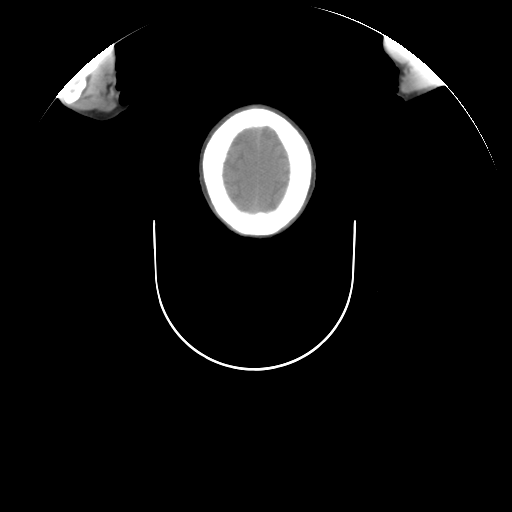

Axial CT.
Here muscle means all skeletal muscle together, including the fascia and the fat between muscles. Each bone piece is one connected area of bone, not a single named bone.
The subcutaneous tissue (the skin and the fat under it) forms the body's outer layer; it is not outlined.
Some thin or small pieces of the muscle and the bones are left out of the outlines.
The head is outlined by 253 102; 269 104; 279 108; 289 115; 303 129; 309 138; 317 163; 316 187; 305 211; 291 227; 283 233; 269 239; 253 239; 241 237; 228 230; 210 211; 200 192; 200 187; 198 183; 199 152; 202 142; 210 128; 230 110; 238 106. The muscle appears in 2 outlined pieces: piece 1: 109 46; 111 47; 112 60; 113 61; 113 91; 115 95; 115 102; 116 103; 115 107; 109 112; 98 112; 95 110; 80 110; 69 105; 66 105; 62 102; 61 99; 58 96; 58 94; 62 88; 86 63; 101 51; 104 50 with a hole at 84 79; 85 79; 86 80; 86 86; 83 90; 80 97; 76 101; 75 101; 73 103; 68 104; 65 101; 64 98; 62 96; 62 93; 63 92; 63 90; 67 86; 69 86; 72 84; 73 85; 76 85; 77 84; 80 83; piece 2: 388 37; 394 41; 399 43; 424 62; 441 80; 436 84; 432 85; 429 87; 427 87; 424 89; 418 90; 408 94; 407 93; 405 93; 402 90; 402 83; 403 82; 403 78; 404 77; 404 70; 403 69; 403 66; 391 53; 388 46. The bones appear in 2 outlined pieces: piece 1: 251 105; 259 105; 271 108; 290 120; 305 137; 312 154; 313 167; 312 179; 307 199; 303 208; 287 226; 271 235; 258 236; 257 235; 244 235; 232 230; 226 225; 216 215; 210 205; 201 173; 202 151; 211 132; 229 114; 236 110; inner edge: 264 127; 269 128; 275 133; 277 138; 283 147; 283 149; 285 151; 288 162; 287 183; 285 186; 283 194; 275 207; 268 210; 248 211; 238 207; 230 197; 224 182; 224 177; 223 176; 224 164; 233 141; 241 132; 251 128; 263 128; piece 2: 84 79; 85 79; 86 80; 86 86; 83 90; 80 97; 76 101; 75 101; 73 103; 68 104; 65 101; 64 98; 62 96; 62 93; 63 92; 63 90; 67 86; 69 86; 72 84; 73 85; 76 85; 77 84; 80 83. The right arm is outlined by 112 44; 114 44; 113 48; 115 51; 116 87; 121 90; 119 96; 119 102; 121 104; 127 104; 128 103; 130 104; 125 110; 122 111; 116 117; 105 121; 98 121; 80 115; 67 108; 62 103; 58 94; 69 80; 86 63; 101 51. The brain is outlined by 264 127; 269 128; 275 133; 277 138; 283 147; 283 149; 285 151; 288 162; 287 183; 285 186; 283 194; 275 207; 268 210; 248 211; 238 207; 230 197; 224 182; 224 177; 223 176; 224 164; 233 141; 241 132; 251 128; 263 128. The left arm is outlined by 384 36; 386 36; 392 39; 409 50; 424 62; 440 79; 442 79; 444 81; 444 83; 442 85; 439 85; 432 90; 408 101; 403 100; 395 93; 398 88; 398 73; 399 72; 398 69; 394 65; 391 58; 385 51; 383 47; 383 38.